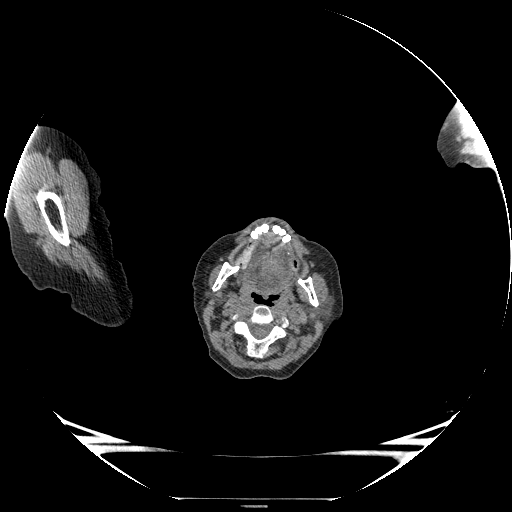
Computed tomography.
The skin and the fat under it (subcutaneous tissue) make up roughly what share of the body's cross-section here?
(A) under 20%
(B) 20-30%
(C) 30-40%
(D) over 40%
(C) 30-40%
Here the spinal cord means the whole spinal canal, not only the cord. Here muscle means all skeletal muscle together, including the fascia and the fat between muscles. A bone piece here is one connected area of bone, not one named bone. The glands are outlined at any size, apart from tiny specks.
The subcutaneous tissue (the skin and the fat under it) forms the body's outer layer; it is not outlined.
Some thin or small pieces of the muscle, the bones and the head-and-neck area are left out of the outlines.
The left arm is outlined by 458,101 468,111 475,122 477,127 481,132 494,161 495,170 489,167 472,167 470,165 464,163 461,163 456,167 452,168 447,166 445,164 441,156 437,151 436,149 436,138 438,131 446,114 452,108 453,105. The head and neck is outlined by 266,216 278,217 285,220 298,234 321,244 332,254 339,270 343,311 341,317 328,328 318,349 291,376 279,380 267,377 240,379 222,369 208,354 193,307 192,280 200,256 215,240 225,234 244,228 257,218, around a hole outlined by 253,294 256,294 258,296 259,296 261,298 265,300 269,298 270,296 275,296 276,297 275,299 274,299 272,301 272,303 270,305 266,305 263,303 257,303 255,301 253,297. The parotid glands appear in 2 outlined pieces: piece 1: 328,295 330,295 331,296 333,295 333,297 335,299 335,304 333,306 333,309 332,310 331,315 330,315 329,317 326,319 325,321 324,321 322,318 314,311 314,309 318,307 320,305 320,303 322,304 326,300; piece 2: 204,291 207,291 207,292 208,293 208,296 206,298 206,299 205,299 204,300 204,301 202,303 202,296 203,295 203,292. The spinal cord is outlined by 250,323 254,323 255,324 258,324 259,325 263,325 264,324 267,324 268,325 270,325 271,327 270,328 270,330 269,332 264,337 262,338 257,338 255,337 251,333 250,331 250,329 249,328 249,324. The right arm is outlined by 38,125 54,127 75,140 100,177 101,193 98,201 110,222 113,255 122,263 133,294 133,313 120,326 107,327 74,311 70,306 70,296 66,293 50,288 34,288 12,256 5,221 7,199 19,158 31,133. The muscle appears in 3 outlined pieces: piece 1: 263,221 273,224 255,226 249,233 253,240 270,230 286,244 292,237 284,226 326,264 333,282 333,294 321,303 310,275 296,279 323,328 305,354 280,370 230,365 212,346 202,316 210,266 236,237; inner edges: 253,294 265,300 270,296 275,296 268,306 272,314 277,319 285,316 288,320 284,329 285,335 271,343 261,358 247,354 247,340 236,333 233,326 235,321 232,316 235,313 239,313 242,318 249,315 258,304, then 225,261 227,261 230,264 232,265 237,264 238,267 240,269 239,269 236,272 228,276 223,282 221,287 218,290 216,291 212,291 211,289 211,287 214,283 217,277 217,275 221,268 221,266 222,264; piece 2: 31,151 48,151 58,157 68,159 70,157 78,164 85,174 90,193 90,221 87,232 88,247 110,279 109,285 84,279 76,273 63,267 54,266 23,231 18,217 14,212 9,189 14,172 20,161 26,153; inner edge: 43,189 49,191 52,191 56,193 62,200 62,204 64,207 64,212 66,218 66,223 68,227 69,236 71,241 70,245 68,247 63,246 54,239 49,232 45,220 41,214 39,206 35,200 35,196 37,191; piece 3: 464,107 465,107 468,111 471,117 475,122 477,127 481,132 487,144 487,146 491,153 492,157 478,156 477,155 472,154 469,152 463,145 461,140 460,129 457,122 457,119 458,118 458,110 460,108 463,108. The bones appear in 5 outlined pieces: piece 1: 258,304 268,306 277,319 285,316 288,320 288,324 284,329 285,335 271,343 268,346 267,352 261,358 252,357 247,354 247,340 241,334 235,332 233,326 235,321 232,318 235,313 239,313 241,318 249,315; inner edge: 250,323 254,323 255,324 258,324 259,325 263,325 264,324 267,324 268,325 270,325 271,327 270,328 270,330 269,332 264,337 262,338 257,338 255,337 251,333 250,331 250,329 249,328 249,324; piece 2: 43,189 49,191 52,191 56,193 62,200 62,204 64,207 64,212 66,218 66,223 68,227 69,236 71,241 70,245 68,247 63,246 54,239 49,232 45,220 41,214 39,206 35,200 35,196 37,191; piece 3: 263,223 266,223 270,226 274,224 277,224 279,226 282,227 290,235 291,237 290,240 286,243 283,243 280,236 274,233 270,229 269,229 267,232 264,232 260,234 257,238 253,239 250,235 251,231 255,227; piece 4: 225,261 227,261 230,264 232,265 237,264 238,267 240,269 239,269 236,272 228,276 223,282 221,287 218,290 216,291 212,291 211,289 211,287 214,283 217,277 217,275 221,268 221,266 222,264; piece 5: 308,276 310,276 312,278 313,286 314,287 314,289 315,290 315,292 319,302 318,306 316,307 313,306 309,302 309,299 308,298 308,295 307,293 305,290 298,283 297,283 297,279 298,278 300,277 304,279.